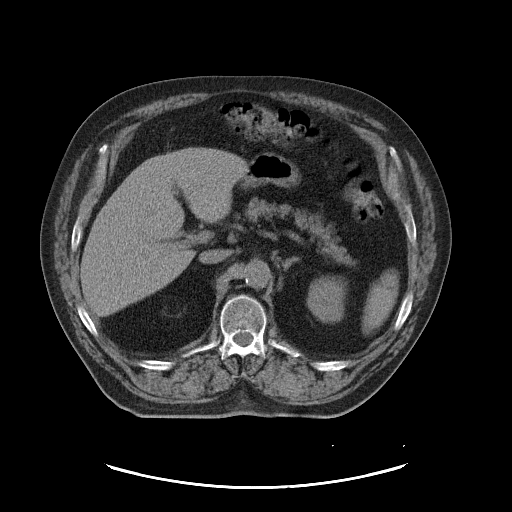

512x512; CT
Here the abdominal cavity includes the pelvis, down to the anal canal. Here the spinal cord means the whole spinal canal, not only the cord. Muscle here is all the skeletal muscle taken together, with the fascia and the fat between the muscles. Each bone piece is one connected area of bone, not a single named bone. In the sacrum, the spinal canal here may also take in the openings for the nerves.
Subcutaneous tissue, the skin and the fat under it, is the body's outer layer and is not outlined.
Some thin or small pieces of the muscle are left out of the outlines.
{"bones":[{"outer":[[242,293],[255,298],[264,308],[267,317],[263,336],[267,347],[265,358],[249,353],[242,358],[237,354],[232,354],[221,359],[217,346],[182,357],[181,355],[183,353],[207,344],[215,338],[222,340],[223,337],[219,327],[219,316],[222,306],[232,296]],"hole":[[238,333],[249,333],[252,336],[252,340],[247,345],[245,345],[244,346],[242,346],[241,345],[240,345],[239,344],[238,344],[236,342],[235,342],[235,341],[234,340],[234,339],[233,338],[234,337],[234,336],[236,334],[237,334]]},[[390,145],[395,148],[401,164],[401,170],[397,171],[397,175],[398,176],[397,177],[397,190],[399,195],[395,199],[393,199],[390,196],[390,192],[388,191],[389,171],[392,166],[393,167],[395,166],[394,161],[389,154],[389,149],[388,148]],[[103,144],[107,144],[108,145],[108,149],[107,150],[107,165],[106,166],[106,172],[105,173],[105,180],[102,184],[102,190],[99,192],[98,191],[99,186],[97,184],[97,181],[95,178],[95,169],[96,168],[96,162],[99,155],[98,153],[98,150]],[[409,291],[413,293],[413,299],[412,300],[412,305],[411,306],[411,310],[407,318],[402,325],[402,326],[398,330],[395,330],[393,327],[394,326],[394,323],[397,318],[397,316],[399,312],[399,309],[400,308],[400,306],[401,305],[402,300],[405,294]],[[342,359],[348,359],[349,360],[351,360],[352,362],[346,367],[344,368],[342,368],[341,369],[339,369],[338,370],[330,370],[329,371],[320,371],[319,370],[317,370],[315,369],[310,364],[310,363],[313,361],[329,361],[330,360],[341,360]],[[407,204],[409,204],[411,206],[411,211],[414,217],[414,220],[415,221],[415,225],[416,226],[416,243],[414,245],[413,245],[409,241],[407,237],[407,235],[406,234],[406,230],[404,227],[404,222],[406,219],[406,211],[405,210],[405,205]],[[141,359],[153,359],[154,360],[161,360],[162,361],[173,361],[174,362],[175,362],[175,364],[170,369],[169,369],[168,370],[156,370],[155,369],[149,369],[148,368],[145,368],[144,367],[142,367],[141,366],[140,366],[137,364],[137,361],[138,361]],[[80,213],[82,217],[81,219],[81,226],[82,227],[82,233],[81,234],[81,237],[80,238],[79,244],[76,250],[75,251],[72,251],[70,247],[70,240],[71,239],[71,233],[72,232],[73,225],[76,219],[76,217],[78,215],[78,214]],[[77,304],[82,304],[84,306],[87,313],[89,315],[90,318],[92,320],[92,321],[93,322],[93,323],[98,332],[98,335],[97,336],[94,336],[92,334],[91,334],[85,327],[84,324],[82,322],[82,321],[77,312],[77,308],[76,307],[76,305]],[[270,338],[275,340],[279,344],[280,344],[281,345],[283,345],[284,346],[286,346],[287,347],[292,348],[293,349],[298,351],[301,354],[297,357],[293,357],[291,355],[290,355],[287,353],[285,353],[283,351],[273,347],[268,343],[268,340]]],"abdominal_cavity":[[[232,92],[318,110],[373,148],[382,185],[403,223],[408,270],[393,326],[373,347],[345,358],[301,350],[281,337],[273,321],[268,324],[262,303],[243,292],[225,300],[204,339],[157,357],[118,347],[88,313],[78,284],[79,245],[124,140],[154,116]]],"muscle":[{"outer":[[232,88],[247,88],[248,89],[256,89],[263,91],[284,91],[285,92],[299,92],[300,93],[304,93],[307,95],[317,96],[327,100],[340,103],[345,106],[363,112],[369,116],[373,117],[391,129],[413,153],[431,189],[431,194],[432,195],[432,200],[433,201],[433,206],[435,213],[435,219],[436,220],[436,258],[431,274],[430,281],[426,291],[426,294],[420,310],[420,313],[416,325],[405,345],[391,362],[349,393],[338,399],[332,401],[329,401],[324,403],[318,403],[317,404],[309,404],[308,405],[288,404],[287,403],[276,401],[270,397],[262,394],[242,379],[230,390],[215,397],[213,399],[203,402],[198,402],[197,403],[161,403],[160,402],[156,402],[145,399],[134,394],[128,390],[114,376],[100,366],[85,350],[84,347],[80,344],[78,339],[76,337],[73,325],[60,294],[57,274],[54,267],[54,257],[52,251],[52,238],[53,237],[53,229],[54,228],[56,206],[72,165],[91,138],[114,118],[152,101],[162,99],[169,96],[177,95],[189,91],[218,90],[219,89],[231,89]],"holes":[[[232,92],[270,96],[344,123],[373,148],[389,196],[388,176],[395,164],[388,148],[396,150],[401,164],[399,195],[391,200],[403,223],[405,205],[411,206],[416,226],[416,243],[407,240],[405,292],[413,293],[411,310],[398,330],[393,327],[373,347],[346,357],[352,362],[344,368],[315,369],[313,361],[345,358],[297,348],[281,337],[273,321],[263,336],[265,358],[249,353],[221,359],[217,346],[182,357],[215,338],[221,341],[216,323],[193,346],[151,357],[118,347],[97,326],[94,336],[77,312],[76,305],[84,304],[78,284],[79,247],[72,251],[70,240],[78,214],[83,231],[101,195],[95,178],[99,148],[108,145],[103,188],[124,140],[135,127],[159,114]],[[141,359],[153,359],[154,360],[161,360],[162,361],[173,361],[174,362],[175,362],[175,364],[170,369],[169,369],[168,370],[156,370],[155,369],[149,369],[148,368],[145,368],[144,367],[142,367],[141,366],[140,366],[137,364],[137,361],[138,361]],[[270,338],[275,340],[279,344],[280,344],[281,345],[283,345],[284,346],[286,346],[287,347],[292,348],[293,349],[298,351],[301,354],[297,357],[293,357],[291,355],[290,355],[287,353],[285,353],[283,351],[273,347],[268,343],[268,340]]]}],"torso":[[[195,75],[292,75],[356,88],[403,118],[437,171],[448,203],[452,235],[438,300],[422,333],[390,378],[371,397],[344,414],[329,418],[136,416],[118,407],[101,391],[54,313],[40,264],[39,232],[48,192],[70,139],[85,118],[110,97],[144,83]]],"spinal_cord":[[[238,333],[249,333],[252,336],[252,340],[247,345],[245,345],[244,346],[242,346],[241,345],[240,345],[239,344],[238,344],[236,342],[235,342],[235,341],[234,340],[234,339],[233,338],[234,337],[234,336],[236,334],[237,334]]]}